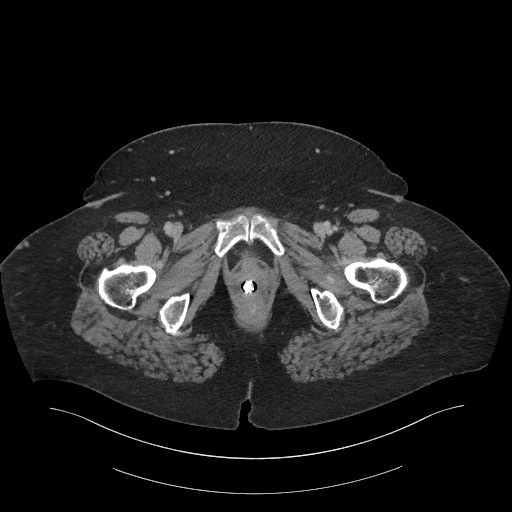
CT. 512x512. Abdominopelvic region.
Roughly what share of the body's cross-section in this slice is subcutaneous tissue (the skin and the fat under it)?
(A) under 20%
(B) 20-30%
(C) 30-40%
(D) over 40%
Answer: (D) over 40%
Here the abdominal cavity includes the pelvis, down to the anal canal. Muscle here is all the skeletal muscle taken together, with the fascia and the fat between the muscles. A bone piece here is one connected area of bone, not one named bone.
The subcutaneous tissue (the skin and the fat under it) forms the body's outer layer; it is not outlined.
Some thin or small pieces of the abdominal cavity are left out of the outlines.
bones 1: (376, 257) (381, 257) (388, 261) (396, 262) (403, 268) (407, 276) (407, 284) (404, 289) (395, 298) (382, 304) (379, 304) (373, 301) (371, 299) (369, 294) (365, 290) (356, 287) (351, 284) (346, 279) (343, 273) (344, 266) (350, 262) (353, 262) (354, 261) (369, 261)
bones 2: (124, 263) (130, 264) (131, 265) (145, 264) (146, 265) (151, 266) (156, 271) (156, 278) (153, 284) (145, 292) (142, 293) (137, 298) (135, 305) (129, 310) (122, 310) (107, 304) (100, 297) (98, 293) (98, 277) (102, 269) (104, 267) (108, 269) (113, 269) (115, 267)
bones 3: (240, 214) (243, 214) (248, 218) (254, 214) (260, 214) (270, 220) (277, 220) (275, 227) (285, 249) (283, 254) (275, 256) (264, 243) (255, 239) (251, 242) (242, 240) (239, 241) (224, 256) (219, 257) (214, 252) (214, 244) (218, 233) (215, 223) (217, 220) (228, 220)
bones 4: (185, 292) (188, 292) (189, 293) (189, 303) (188, 304) (185, 319) (183, 322) (183, 324) (180, 328) (180, 330) (182, 333) (180, 335) (172, 335) (170, 333) (166, 332) (163, 325) (159, 320) (159, 315) (158, 314) (159, 313) (159, 310) (168, 298) (173, 295) (179, 295)
bones 5: (312, 287) (316, 287) (320, 290) (324, 290) (325, 289) (330, 290) (335, 295) (339, 303) (343, 307) (343, 313) (340, 319) (338, 329) (337, 330) (327, 328) (319, 319) (316, 312) (315, 304) (314, 303) (313, 297) (311, 293) (311, 288)
torso: (270, 120) (322, 126) (364, 144) (406, 181) (408, 200) (449, 218) (494, 259) (509, 289) (486, 365) (348, 417) (279, 430) (251, 424) (248, 400) (227, 430) (161, 418) (78, 384) (33, 381) (4, 303) (0, 262) (9, 252) (81, 206) (99, 166) (126, 143) (188, 123)
muscle: (369, 203) (425, 239) (424, 295) (429, 323) (410, 345) (367, 369) (341, 379) (306, 383) (289, 377) (279, 353) (293, 333) (307, 328) (312, 320) (284, 283) (278, 285) (263, 331) (246, 333) (236, 324) (227, 289) (219, 280) (192, 324) (196, 332) (214, 340) (224, 359) (217, 371) (200, 383) (145, 376) (96, 352) (70, 325) (80, 293) (77, 245) (88, 232) (120, 211) (147, 213) (167, 242) (240, 206) (267, 209) (320, 239) (335, 241) (349, 205); inner edges: (240, 214) (248, 218) (254, 214) (260, 214) (270, 220) (277, 220) (275, 227) (285, 249) (282, 255) (273, 257) (274, 269) (267, 313) (260, 325) (254, 329) (248, 329) (238, 319) (236, 295) (227, 256) (219, 257) (214, 252) (218, 233) (216, 221) (220, 219) (228, 220), then (376, 257) (381, 257) (388, 261) (396, 262) (403, 268) (407, 276) (407, 284) (404, 289) (395, 298) (382, 304) (379, 304) (373, 301) (371, 299) (369, 294) (365, 290) (356, 287) (351, 284) (346, 279) (343, 273) (344, 266) (350, 262) (353, 262) (354, 261) (369, 261), then (124, 263) (130, 264) (131, 265) (145, 264) (146, 265) (151, 266) (156, 271) (156, 278) (153, 284) (145, 292) (142, 293) (137, 298) (135, 305) (129, 310) (122, 310) (107, 304) (100, 297) (98, 293) (98, 277) (102, 269) (104, 267) (108, 269) (113, 269) (115, 267), then (185, 292) (188, 292) (189, 293) (189, 303) (188, 304) (185, 319) (183, 322) (183, 324) (180, 328) (180, 330) (182, 333) (180, 335) (172, 335) (170, 333) (166, 332) (163, 325) (159, 320) (159, 315) (158, 314) (159, 313) (159, 310) (168, 298) (173, 295) (179, 295), then (312, 287) (316, 287) (320, 290) (324, 290) (325, 289) (330, 290) (335, 295) (339, 303) (343, 307) (343, 313) (340, 319) (338, 329) (337, 330) (327, 328) (319, 319) (316, 312) (315, 304) (314, 303) (313, 297) (311, 293) (311, 288)
abdominal cavity: (255, 240) (258, 240) (264, 244) (274, 256) (273, 257) (274, 269) (270, 292) (270, 300) (269, 305) (267, 308) (267, 313) (260, 325) (254, 329) (248, 329) (238, 319) (239, 317) (237, 311) (236, 295) (226, 255) (239, 242) (242, 241) (246, 243) (251, 243)